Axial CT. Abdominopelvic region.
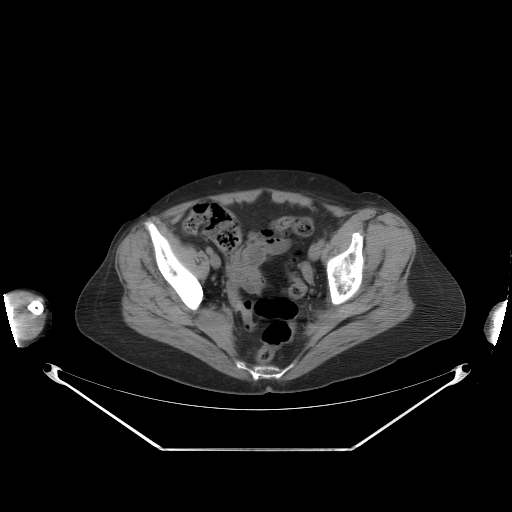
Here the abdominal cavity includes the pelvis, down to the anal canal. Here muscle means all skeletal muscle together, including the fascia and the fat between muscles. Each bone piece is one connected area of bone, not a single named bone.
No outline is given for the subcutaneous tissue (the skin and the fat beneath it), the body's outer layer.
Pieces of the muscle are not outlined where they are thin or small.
The bones appear in 4 outlined pieces: piece 1: 147,220 151,220 154,223 159,232 166,238 168,241 170,247 177,259 197,278 201,284 203,290 203,298 197,309 195,310 190,309 182,301 175,290 161,274 155,260 154,249 149,232 144,225 144,222; piece 2: 354,232 359,232 363,237 362,255 364,259 364,263 362,271 362,281 358,290 352,297 342,303 335,305 331,302 331,298 328,287 327,275 326,274 326,263 328,259 344,251 350,245 351,236 352,233; piece 3: 237,360 245,362 246,365 251,368 254,365 258,364 261,365 263,364 271,364 278,366 281,368 290,363 293,363 294,365 278,378 266,379 260,377 257,380 255,380 252,375 246,369 237,367 235,363; piece 4: 34,299 37,299 38,300 39,300 42,303 42,304 43,305 43,311 40,314 39,314 38,315 35,315 33,313 32,313 27,308 27,305 32,300 33,300. The left arm is outlined by 497,302 501,302 500,304 501,305 501,307 497,310 497,311 493,316 493,332 491,335 490,340 488,341 485,338 485,336 483,333 483,330 482,328 483,327 484,321 486,318 486,316 490,308 495,303. The torso is outlined by 241,168 314,171 334,177 356,192 372,191 384,196 415,225 461,287 466,302 462,327 450,338 362,376 305,391 253,395 201,389 157,375 118,358 81,334 74,319 77,298 105,257 120,226 180,185 209,174. The muscle appears in 3 outlined pieces: piece 1: 260,187 301,193 349,209 385,208 399,216 416,244 407,280 415,304 412,313 296,378 270,379 280,378 295,365 290,362 304,347 306,325 316,310 325,307 328,288 335,306 359,290 365,259 364,237 354,231 349,245 328,258 325,266 322,248 342,225 338,218 318,203 308,207 280,203 263,192 251,202 197,201 171,227 177,237 208,258 210,268 201,283 155,223 151,219 147,219 143,222 156,266 162,277 190,310 197,310 203,299 231,318 235,349 243,360 257,364 251,367 240,359 234,363 256,381 220,372 129,327 122,319 123,287 114,261 119,243 131,228 146,217 186,201; piece 2: 16,291 28,291 31,292 36,295 40,296 44,301 44,307 47,314 46,315 46,318 43,328 35,337 29,340 20,341 20,337 19,336 20,334 18,331 15,313 13,310 12,304 9,298 10,296 8,294; inner edge: 34,299 37,299 38,300 39,300 42,303 42,304 43,305 43,311 40,314 39,314 38,315 35,315 33,313 32,313 27,308 27,305 32,300 33,300; piece 3: 500,305 501,305 501,307 497,310 497,311 494,314 493,316 493,332 491,335 490,340 489,338 489,335 488,334 488,327 489,326 488,324 489,323 489,321 491,317 491,314 494,311 495,308 496,308. The right arm is outlined by 18,287 30,287 42,292 47,297 52,310 52,327 50,331 45,336 42,337 36,342 31,344 27,347 21,347 21,342 20,341 18,327 16,322 15,313 13,310 11,301 8,296 8,291 11,289 17,288. The abdominal cavity is outlined by 263,193 269,193 280,204 308,208 318,204 341,225 323,242 320,252 327,281 324,307 316,309 305,325 303,347 286,365 253,363 241,357 232,318 204,302 202,283 211,268 209,258 172,228 197,202 251,203.